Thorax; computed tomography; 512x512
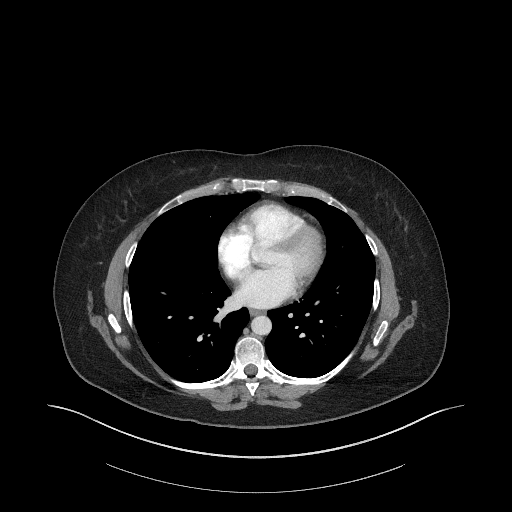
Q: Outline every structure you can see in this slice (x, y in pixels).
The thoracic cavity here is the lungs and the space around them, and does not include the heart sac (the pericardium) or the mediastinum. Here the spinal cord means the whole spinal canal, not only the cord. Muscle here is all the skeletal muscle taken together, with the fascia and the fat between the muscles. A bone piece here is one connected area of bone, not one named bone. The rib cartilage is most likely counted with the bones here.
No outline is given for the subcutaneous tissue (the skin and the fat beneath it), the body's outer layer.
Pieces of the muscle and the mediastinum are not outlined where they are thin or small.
A: mediastinum: (263, 343) (264, 343) (264, 341) (267, 335) (270, 332) (272, 326) (271, 320) (267, 315) (267, 311) (269, 309) (267, 310) (256, 310) (255, 309) (250, 309) (246, 307) (249, 312) (249, 321) (243, 329) (241, 335) (238, 338) (245, 335) (251, 335) (252, 336) (255, 336)
muscle 1: (221, 411) (243, 409) (250, 403) (297, 408) (301, 405) (299, 399) (302, 396) (352, 377) (362, 377) (377, 367) (391, 353) (402, 335) (413, 326) (417, 311) (412, 295) (392, 267) (382, 241) (352, 208) (342, 203) (348, 209) (347, 213) (363, 233) (367, 232) (373, 237) (378, 247) (375, 276) (380, 280) (381, 297) (377, 310) (370, 310) (354, 346) (355, 354) (342, 370) (325, 383) (279, 385) (263, 378) (251, 396) (243, 380) (201, 390) (182, 389) (167, 380) (165, 376) (169, 375) (151, 358) (134, 324) (132, 328) (127, 324) (122, 308) (122, 291) (128, 288) (125, 253) (134, 240) (140, 239) (160, 206) (135, 225) (118, 245) (110, 262) (94, 276) (86, 295) (89, 322) (117, 358) (142, 379) (180, 395) (207, 399) with holes at (374, 346) (376, 346) (379, 343) (379, 342) (382, 338) (385, 331) (387, 329) (387, 327) (388, 326) (388, 323) (386, 320) (383, 320) (380, 323) (380, 324) (377, 328) (377, 330) (376, 331) (376, 332) (373, 337) (373, 339) (372, 340) (372, 343) and at (116, 333) (120, 333) (121, 332) (121, 327) (120, 326) (120, 325) (118, 323) (118, 322) (117, 321) (115, 316) (112, 313) (110, 313) (109, 314) (108, 314) (108, 315) (107, 316) (107, 319) (108, 320) (108, 322) (110, 324) (110, 325) (112, 327) (112, 328)
muscle 2: (218, 193) (228, 193) (229, 192) (233, 192) (232, 190) (231, 190) (228, 186) (228, 182) (232, 177) (232, 176) (220, 177) (219, 178) (211, 180) (206, 183) (201, 184) (212, 183) (216, 181) (221, 181) (223, 182) (225, 185) (225, 187) (223, 190) (220, 191)
muscle 3: (326, 192) (327, 192) (326, 191) (320, 188) (318, 188) (309, 184) (306, 184) (305, 183) (302, 183) (297, 181) (284, 181) (283, 180) (278, 179) (284, 185) (285, 184) (293, 184) (294, 183) (295, 184) (303, 184) (304, 185) (309, 185) (310, 186) (315, 187)
pericardium: (256, 309) (267, 309) (273, 307) (278, 307) (300, 299) (316, 276) (325, 256) (325, 237) (318, 221) (307, 211) (291, 205) (283, 200) (275, 197) (260, 198) (242, 210) (225, 228) (220, 237) (218, 244) (218, 267) (224, 281) (243, 301) (243, 305)
thoracic cavity 1: (185, 381) (203, 381) (221, 374) (233, 357) (234, 344) (248, 321) (248, 312) (242, 305) (242, 301) (220, 277) (217, 267) (217, 244) (227, 224) (242, 209) (259, 198) (255, 192) (216, 194) (187, 201) (157, 217) (139, 241) (128, 278) (133, 321) (152, 358) (171, 376)
thoracic cavity 2: (296, 376) (316, 376) (326, 372) (336, 365) (357, 341) (371, 308) (374, 257) (363, 234) (346, 213) (315, 198) (288, 196) (285, 198) (287, 202) (307, 210) (319, 221) (326, 237) (324, 262) (302, 298) (298, 302) (268, 311) (273, 326) (264, 344) (266, 355) (277, 368)
bones 1: (251, 395) (258, 380) (263, 377) (279, 384) (325, 382) (343, 368) (355, 348) (322, 375) (296, 377) (277, 369) (265, 355) (264, 346) (258, 339) (242, 337) (235, 344) (229, 366) (218, 377) (203, 382) (166, 377) (171, 383) (188, 389) (222, 386) (235, 379) (243, 379), around a hole outlined by (248, 375) (253, 375) (256, 372) (256, 371) (257, 370) (257, 369) (256, 368) (256, 367) (254, 365) (253, 365) (252, 364) (249, 364) (248, 365) (247, 365) (245, 367) (245, 368) (244, 369) (244, 371) (245, 372) (245, 373) (246, 373)
bones 2: (345, 212) (347, 212) (345, 206) (333, 196) (309, 186) (294, 184) (284, 186) (277, 179) (251, 179) (238, 177) (233, 177) (229, 182) (229, 186) (234, 192) (244, 192) (248, 190) (275, 192) (282, 190) (285, 192) (286, 195) (310, 196) (318, 198) (327, 204) (339, 208)
bones 3: (157, 216) (160, 215) (163, 212) (168, 210) (170, 208) (176, 205) (181, 204) (192, 198) (203, 195) (215, 194) (220, 190) (223, 189) (224, 185) (221, 182) (216, 182) (212, 184) (201, 185) (193, 189) (186, 190) (181, 193) (179, 193) (168, 200) (161, 206) (157, 213)
bones 4: (131, 327) (132, 327) (133, 326) (133, 322) (132, 321) (132, 313) (131, 312) (131, 304) (130, 303) (130, 299) (129, 298) (129, 292) (128, 291) (128, 289) (124, 289) (124, 290) (123, 291) (123, 308) (124, 309) (124, 314) (125, 315) (125, 317) (128, 322) (128, 324)
bones 5: (374, 311) (375, 310) (376, 310) (376, 309) (377, 308) (377, 306) (378, 305) (378, 304) (379, 303) (379, 298) (380, 297) (380, 284) (379, 283) (379, 280) (378, 279) (378, 278) (377, 277) (375, 277) (374, 278) (374, 281) (373, 282) (373, 298) (372, 299) (372, 309)
bones 6: (374, 346) (376, 346) (379, 343) (379, 342) (382, 338) (385, 331) (387, 329) (387, 327) (388, 326) (388, 323) (386, 320) (383, 320) (380, 323) (380, 324) (377, 328) (377, 330) (376, 331) (376, 332) (373, 337) (373, 339) (372, 340) (372, 343)
bones 7: (127, 268) (128, 268) (130, 265) (130, 263) (132, 260) (133, 255) (135, 252) (135, 250) (136, 249) (136, 247) (138, 243) (138, 241) (136, 240) (134, 241) (130, 245) (130, 246) (128, 248) (128, 250) (125, 256) (125, 266)
bones 8: (116, 333) (120, 333) (121, 332) (121, 327) (120, 326) (120, 325) (118, 323) (118, 322) (117, 321) (115, 316) (112, 313) (110, 313) (109, 314) (108, 314) (108, 315) (107, 316) (107, 319) (108, 320) (108, 322) (110, 324) (110, 325) (112, 327) (112, 328)
bones 9: (374, 256) (377, 255) (378, 253) (377, 252) (377, 247) (376, 246) (376, 244) (374, 240) (372, 238) (372, 237) (370, 236) (367, 233) (365, 233) (364, 234) (364, 236)
torso: (239, 429) (297, 427) (354, 415) (421, 387) (439, 366) (450, 305) (437, 238) (412, 192) (379, 162) (318, 144) (286, 145) (248, 154) (213, 149) (171, 151) (137, 161) (111, 176) (72, 218) (56, 262) (53, 303) (63, 348) (74, 371) (92, 386) (144, 411) (179, 421)
spinal cord: (248, 375) (253, 375) (256, 372) (256, 371) (257, 370) (257, 369) (256, 368) (256, 367) (254, 365) (253, 365) (252, 364) (249, 364) (248, 365) (247, 365) (245, 367) (245, 368) (244, 369) (244, 371) (245, 372) (245, 373) (246, 373)